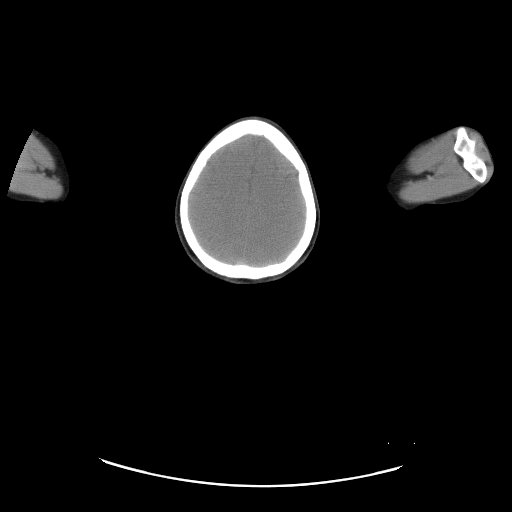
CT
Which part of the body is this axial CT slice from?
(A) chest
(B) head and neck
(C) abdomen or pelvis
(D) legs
Answer: (B) head and neck
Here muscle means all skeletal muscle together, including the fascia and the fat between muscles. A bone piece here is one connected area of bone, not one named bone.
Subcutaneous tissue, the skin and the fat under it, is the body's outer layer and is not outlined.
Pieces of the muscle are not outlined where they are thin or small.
brain: [[246,135],[261,136],[265,138],[293,166],[297,172],[297,183],[304,204],[303,226],[301,234],[296,243],[283,259],[263,265],[252,265],[247,263],[230,263],[214,257],[206,251],[201,245],[192,227],[189,217],[190,194],[200,174],[212,155],[224,146]]
head: [[248,114],[270,118],[282,126],[291,136],[311,172],[319,200],[321,221],[319,234],[311,254],[299,268],[287,277],[279,281],[261,285],[233,285],[208,277],[197,269],[188,258],[176,233],[174,225],[174,202],[182,178],[202,147],[226,124],[240,116]]
muscle 1: [[455,129],[454,131],[454,142],[452,145],[452,149],[460,158],[463,168],[479,184],[464,192],[440,199],[436,199],[431,201],[416,202],[415,203],[408,203],[403,201],[398,195],[398,190],[399,189],[398,188],[398,184],[401,173],[407,159],[420,146]]
muscle 2: [[30,134],[32,134],[40,139],[47,146],[55,158],[60,176],[60,180],[63,186],[63,191],[61,195],[57,198],[53,198],[52,199],[37,198],[24,194],[15,193],[8,190],[10,187],[14,172],[18,165],[18,161],[20,159],[20,156]]
muscle 3: [[467,129],[471,130],[477,134],[477,135],[480,138],[484,146],[484,148],[489,157],[490,164],[491,165],[491,171],[487,179],[487,177],[488,176],[488,170],[487,169],[486,163],[484,159],[477,154],[476,152],[476,140],[474,138],[472,138],[469,136]]
left arm: [[457,125],[468,125],[474,127],[479,131],[483,137],[494,162],[494,173],[489,183],[478,191],[471,198],[460,203],[452,203],[451,204],[444,204],[443,205],[425,205],[413,211],[405,210],[396,205],[383,191],[384,178],[390,167],[410,146],[417,141]]
bones 1: [[244,118],[259,118],[265,120],[276,126],[289,138],[307,167],[316,206],[316,221],[313,235],[301,257],[283,273],[260,279],[230,278],[219,275],[206,268],[187,244],[182,232],[179,217],[181,191],[186,176],[196,156],[205,144],[222,128],[232,122]] with a hole at [[246,135],[261,136],[265,138],[293,166],[297,172],[297,183],[304,204],[303,226],[301,234],[296,243],[283,259],[263,265],[252,265],[247,263],[230,263],[214,257],[206,251],[201,245],[192,227],[189,217],[190,194],[200,174],[212,155],[224,146]]
bones 2: [[460,126],[463,126],[466,129],[468,136],[470,138],[475,140],[475,152],[478,156],[483,159],[485,163],[487,170],[487,176],[486,177],[486,180],[482,183],[480,183],[477,181],[464,168],[462,164],[461,158],[453,149],[453,145],[455,142],[455,131]]
right arm: [[34,128],[44,132],[51,137],[61,148],[64,155],[71,178],[71,187],[68,196],[61,203],[44,204],[32,202],[19,202],[11,200],[7,197],[7,193],[10,187],[14,172],[18,165],[18,161],[20,159],[20,156],[24,149],[24,146]]